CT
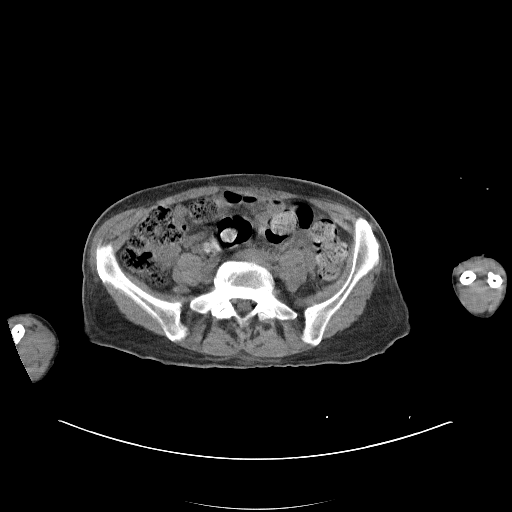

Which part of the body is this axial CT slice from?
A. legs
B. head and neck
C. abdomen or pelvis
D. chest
Answer: C. abdomen or pelvis
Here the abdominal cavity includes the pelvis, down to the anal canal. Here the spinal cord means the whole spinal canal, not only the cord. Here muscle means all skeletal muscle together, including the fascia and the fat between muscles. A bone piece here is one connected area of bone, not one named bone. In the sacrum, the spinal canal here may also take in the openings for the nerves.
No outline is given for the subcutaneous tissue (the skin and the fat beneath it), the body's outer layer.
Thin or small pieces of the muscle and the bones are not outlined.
The spinal cord is outlined by 232 298; 235 298; 236 299; 245 299; 246 300; 253 300; 255 302; 255 305; 248 312; 247 312; 245 314; 243 314; 242 315; 241 314; 240 314; 234 308; 234 307; 233 306; 233 305; 231 303; 231 302; 230 301; 230 300. The torso is outlined by 225 173; 268 173; 309 180; 341 191; 365 207; 380 225; 389 243; 396 278; 409 308; 410 332; 396 340; 384 353; 360 362; 244 369; 167 365; 90 342; 82 332; 83 276; 81 264; 87 235; 98 216; 112 203; 139 189; 182 178. The right arm is outlined by 20 312; 32 312; 42 316; 52 325; 59 338; 59 350; 52 367; 49 370; 48 373; 40 381; 36 383; 34 383; 31 380; 30 375; 25 369; 24 364; 16 350; 16 345; 12 337; 11 329; 7 322; 8 321; 7 319; 10 315. The abdominal cavity is outlined by 222 190; 302 199; 327 212; 350 236; 349 256; 338 279; 287 304; 273 293; 272 273; 253 260; 224 260; 212 288; 197 295; 189 287; 199 286; 210 273; 201 255; 184 252; 175 260; 170 291; 153 289; 126 271; 117 253; 146 214, around a hole outlined by 292 248; 296 248; 299 250; 301 250; 303 252; 303 255; 305 258; 305 261; 307 263; 307 268; 308 269; 307 270; 307 275; 305 281; 293 293; 291 293; 286 288; 284 282; 278 275; 278 266; 279 265; 280 256; 287 250. The left arm is outlined by 480 253; 484 253; 487 256; 495 258; 505 268; 507 268; 511 273; 511 290; 510 292; 505 296; 503 302; 494 314; 492 316; 487 318; 479 318; 472 315; 462 305; 455 295; 451 282; 451 273; 453 267; 460 261; 464 260; 472 255. The muscle appears in 5 outlined pieces: piece 1: 210 185; 259 186; 328 199; 354 208; 363 215; 353 220; 351 268; 343 283; 329 297; 303 309; 300 339; 314 347; 311 349; 281 357; 254 357; 243 350; 232 356; 214 356; 176 345; 173 343; 183 340; 189 333; 188 327; 181 320; 182 302; 160 298; 147 292; 123 270; 143 281; 153 290; 170 292; 176 284; 172 277; 176 260; 184 253; 195 254; 205 260; 209 273; 205 281; 197 286; 188 287; 190 293; 195 296; 188 303; 190 310; 199 314; 210 313; 218 320; 233 318; 240 327; 254 317; 260 322; 269 319; 294 320; 298 313; 289 305; 294 303; 296 297; 313 294; 334 284; 342 274; 351 252; 351 236; 348 232; 338 225; 327 211; 306 199; 250 196; 233 189; 222 189; 213 194; 155 206; 131 227; 129 237; 120 246; 116 256; 110 241; 104 243; 99 241; 95 245; 95 269; 101 282; 109 284; 130 298; 159 324; 169 340; 126 319; 105 288; 94 280; 90 270; 89 250; 95 232; 104 221; 122 211; 143 206; 191 188; piece 2: 476 258; 486 258; 492 261; 494 261; 501 268; 501 269; 503 270; 503 272; 505 275; 505 288; 504 290; 503 290; 501 293; 501 297; 498 303; 496 305; 496 306; 489 313; 487 314; 481 314; 480 313; 475 313; 473 312; 464 303; 464 302; 461 299; 461 297; 459 295; 456 289; 456 272; 458 270; 458 269; 464 263; 468 261; 470 261; 473 259; 475 259 with holes at 489 271; 491 271; 492 272; 493 272; 494 273; 495 273; 496 274; 498 274; 499 275; 499 276; 502 279; 502 281; 500 283; 500 288; 493 288; 492 287; 490 287; 490 286; 488 284; 488 283; 487 282; 487 274; 488 273; 488 272 and at 465 270; 472 270; 475 273; 475 274; 476 275; 476 277; 475 278; 475 279; 470 284; 469 284; 468 285; 464 285; 463 284; 462 284; 459 281; 459 279; 460 278; 460 277; 461 276; 461 275; 462 274; 462 273; piece 3: 19 316; 30 316; 38 320; 51 332; 55 340; 54 351; 47 367; 40 376; 33 380; 30 378; 30 375; 26 371; 24 364; 16 350; 16 346; 25 334; 26 331; 25 327; 22 323; 17 322; 10 328; 7 322; 10 318; 12 319; piece 4: 377 238; 382 248; 384 264; 383 269; 381 270; 377 278; 372 293; 366 301; 364 311; 359 316; 358 319; 353 322; 350 326; 338 331; 332 336; 322 341; 324 333; 332 316; 341 307; 359 280; 378 265; 380 261; 379 254; 380 244; piece 5: 292 248; 296 248; 299 250; 301 250; 303 252; 303 255; 305 258; 305 261; 307 263; 307 268; 308 269; 307 270; 307 275; 305 281; 293 293; 291 293; 286 288; 284 282; 278 275; 278 266; 279 265; 280 256; 287 250. The bones appear in 6 outlined pieces: piece 1: 227 260; 253 261; 265 267; 274 280; 272 293; 293 309; 297 316; 294 319; 280 320; 269 318; 262 321; 254 316; 240 326; 233 317; 218 319; 210 312; 199 313; 190 309; 189 303; 194 297; 213 288; 213 278; 216 270; 221 263; inner edge: 232 298; 235 298; 236 299; 245 299; 246 300; 253 300; 255 302; 255 305; 248 312; 247 312; 245 314; 243 314; 242 315; 241 314; 240 314; 234 308; 234 307; 233 306; 233 305; 231 303; 231 302; 230 301; 230 300; piece 2: 360 216; 364 217; 371 225; 372 231; 379 244; 379 261; 377 265; 358 280; 343 303; 331 316; 325 328; 321 341; 316 346; 312 346; 305 343; 301 339; 304 328; 304 309; 308 306; 319 303; 329 298; 344 283; 352 268; 354 220; piece 3: 99 242; 102 244; 108 242; 111 243; 115 256; 123 272; 141 289; 160 299; 181 302; 180 320; 188 330; 187 335; 183 339; 175 342; 171 341; 165 335; 160 324; 130 297; 120 290; 114 288; 109 283; 102 282; 96 269; 95 248; piece 4: 17 323; 20 323; 22 324; 24 327; 24 329; 25 331; 24 332; 24 334; 23 336; 20 339; 20 340; 16 345; 12 337; 12 334; 11 333; 11 328; 15 324; piece 5: 489 271; 491 271; 492 272; 493 272; 494 273; 495 273; 496 274; 498 274; 499 275; 499 276; 502 279; 502 281; 500 283; 500 288; 493 288; 492 287; 490 287; 490 286; 488 284; 488 283; 487 282; 487 274; 488 273; 488 272; piece 6: 465 270; 472 270; 475 273; 475 274; 476 275; 476 277; 475 278; 475 279; 470 284; 469 284; 468 285; 464 285; 463 284; 462 284; 459 281; 459 279; 460 278; 460 277; 461 276; 461 275; 462 274; 462 273.